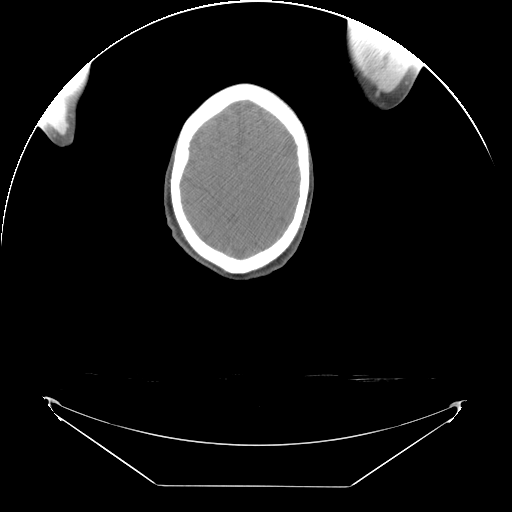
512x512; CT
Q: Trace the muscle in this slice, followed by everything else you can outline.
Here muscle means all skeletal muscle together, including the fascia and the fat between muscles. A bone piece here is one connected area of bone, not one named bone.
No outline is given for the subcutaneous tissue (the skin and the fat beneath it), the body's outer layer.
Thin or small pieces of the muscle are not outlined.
A: {"muscle":[[[351,20],[361,22],[384,34],[385,35],[383,41],[384,48],[392,56],[397,58],[402,53],[403,50],[406,48],[418,58],[412,69],[403,81],[393,91],[387,93],[382,92],[366,78],[357,69],[354,64],[350,52],[350,41],[349,40],[350,21]],[[84,67],[83,80],[81,83],[80,88],[76,96],[73,100],[73,103],[71,107],[71,116],[70,117],[70,129],[67,135],[63,137],[57,134],[40,118],[46,108],[51,102],[51,101],[58,93],[58,92],[63,87],[63,86],[82,68]],[[306,206],[306,212],[305,213],[305,216],[304,217],[304,220],[303,221],[303,223],[302,224],[302,227],[300,229],[300,232],[299,233],[299,235],[297,237],[297,238],[296,239],[296,240],[294,242],[294,243],[293,244],[293,245],[290,248],[290,249],[289,250],[289,251],[287,253],[287,254],[286,254],[282,258],[281,258],[278,261],[277,261],[274,264],[273,264],[272,265],[270,265],[269,266],[268,266],[267,267],[266,267],[265,268],[264,268],[263,269],[262,269],[259,271],[257,271],[254,273],[247,273],[249,273],[250,272],[252,272],[253,271],[256,271],[259,269],[261,269],[262,268],[263,268],[264,267],[265,267],[266,266],[267,266],[270,263],[271,263],[273,261],[274,261],[276,259],[277,259],[289,247],[289,246],[291,244],[291,243],[293,241],[293,240],[295,238],[295,237],[296,236],[296,235],[297,234],[297,233],[298,232],[298,231],[300,228],[300,226],[301,225],[301,223],[302,222],[302,220],[303,219],[303,217],[304,216],[304,213],[305,212],[305,210],[306,209]],[[172,160],[172,165],[171,166],[171,169],[170,170],[170,176],[169,177],[169,198],[170,199],[171,208],[172,209],[175,220],[184,239],[189,245],[189,246],[199,256],[198,256],[193,251],[192,251],[180,237],[180,235],[178,232],[178,230],[176,227],[176,225],[174,222],[174,220],[172,217],[172,215],[170,211],[170,204],[169,203],[169,196],[168,195],[168,181],[169,180],[169,175],[170,174],[170,169],[171,168],[171,164]]],"brain":[[[240,101],[249,101],[257,105],[274,116],[284,126],[295,145],[299,176],[298,193],[293,213],[281,235],[267,247],[251,255],[240,258],[229,255],[213,247],[200,237],[186,215],[181,193],[181,181],[190,157],[190,144],[194,135],[208,120],[231,104]]],"head":[[[240,82],[257,84],[271,90],[294,110],[307,134],[313,157],[315,178],[309,218],[303,237],[295,253],[284,266],[271,274],[246,281],[237,281],[221,277],[188,256],[171,236],[170,229],[166,224],[163,205],[164,172],[170,151],[184,121],[214,92]]],"left_arm":[[[346,15],[379,31],[396,41],[414,54],[424,64],[417,73],[415,81],[409,93],[395,107],[388,110],[381,110],[372,106],[365,99],[356,82],[354,80],[350,71],[350,68],[348,65],[346,57],[346,50],[345,49],[345,33],[347,30],[347,17]]],"right_arm":[[[90,60],[90,70],[89,71],[87,84],[84,90],[83,95],[77,107],[77,113],[76,114],[76,130],[75,131],[74,140],[71,145],[67,147],[58,147],[51,142],[47,137],[45,132],[36,124],[46,108],[63,86],[83,68],[85,66],[85,64]]],"bones":[{"outer":[[240,82],[257,84],[271,90],[282,98],[297,114],[303,124],[309,143],[309,189],[305,209],[299,228],[288,247],[277,258],[261,268],[246,273],[230,273],[200,256],[185,239],[172,208],[170,198],[170,177],[176,140],[186,118],[214,92],[231,84]],"hole":[[240,101],[249,101],[257,105],[274,116],[284,126],[295,145],[299,176],[298,193],[293,213],[281,235],[267,247],[251,255],[240,258],[229,255],[213,247],[200,237],[186,215],[181,193],[181,181],[190,157],[190,144],[194,135],[208,120],[231,104]]},[[386,35],[390,38],[391,38],[393,40],[396,41],[404,47],[404,48],[402,50],[401,53],[397,57],[396,56],[394,56],[393,55],[392,55],[387,50],[386,50],[386,49],[385,48],[385,44],[384,43],[384,41],[385,40],[385,37],[386,36]]]}